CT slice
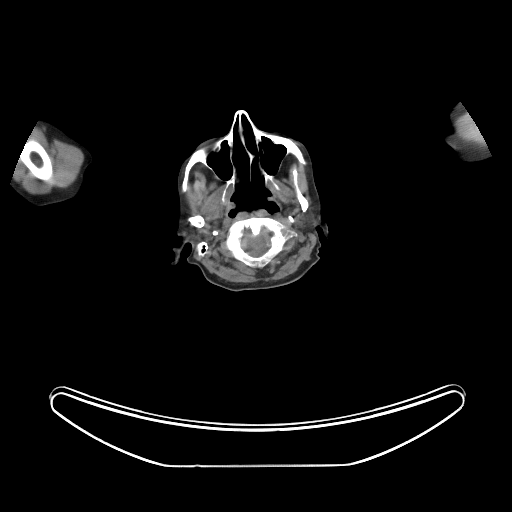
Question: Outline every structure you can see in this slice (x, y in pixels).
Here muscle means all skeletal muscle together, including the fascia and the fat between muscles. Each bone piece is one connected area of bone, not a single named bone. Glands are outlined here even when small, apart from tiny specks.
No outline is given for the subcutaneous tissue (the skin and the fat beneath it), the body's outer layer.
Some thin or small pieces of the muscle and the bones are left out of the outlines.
Answer: bones 1: [[252,216],[273,218],[296,233],[295,235],[294,234],[285,241],[283,245],[283,248],[262,268],[249,266],[236,259],[233,257],[231,252],[226,247],[225,244],[227,233],[232,223],[235,221],[241,219],[245,219]]; inner edge: [[247,230],[249,231],[249,236],[251,238],[255,238],[259,236],[262,233],[263,234],[265,234],[267,236],[267,239],[269,242],[269,247],[267,249],[267,250],[261,255],[259,255],[258,256],[253,256],[243,248],[242,246],[242,240],[246,235],[246,232]]
bones 2: [[238,110],[245,111],[258,129],[293,140],[306,164],[299,165],[291,155],[281,162],[285,148],[266,137],[261,140],[261,151],[258,150],[251,125],[243,115],[243,134],[255,156],[250,170],[249,157],[240,141],[237,125],[234,125],[232,159],[238,181],[234,187],[228,187],[226,203],[223,203],[221,196],[225,184],[214,172],[222,180],[227,180],[233,170],[227,142],[223,141],[217,152],[214,151],[213,144],[228,133]]
bones 3: [[30,135],[31,135],[35,140],[41,144],[41,145],[47,152],[51,160],[51,163],[52,164],[52,177],[50,182],[47,182],[46,181],[41,180],[35,176],[32,175],[30,173],[28,168],[21,161],[19,161],[18,160],[20,153],[28,137]]
bones 4: [[202,147],[205,147],[207,150],[207,152],[209,155],[207,157],[206,161],[212,168],[213,171],[207,168],[200,162],[196,163],[190,170],[189,176],[188,177],[188,187],[186,191],[182,193],[181,192],[181,183],[184,176],[185,166],[191,154],[196,150]]
bones 5: [[293,166],[296,166],[297,167],[297,172],[298,173],[298,176],[297,177],[297,179],[298,180],[298,186],[302,194],[306,198],[308,202],[308,207],[305,211],[303,211],[301,209],[301,206],[296,196],[296,192],[293,185],[293,176],[291,171]]
bones 6: [[260,156],[261,156],[261,164],[263,169],[268,174],[270,175],[274,175],[274,180],[278,185],[279,189],[277,190],[276,189],[274,189],[274,188],[270,184],[266,186],[265,185],[264,176],[260,172],[259,166],[258,165],[258,159],[257,157],[258,158]]
bones 7: [[197,214],[200,214],[203,217],[203,218],[204,219],[204,225],[202,227],[196,227],[195,226],[193,226],[192,225],[191,225],[188,222],[188,221],[187,220],[187,218],[189,216],[192,216],[193,215],[196,215]]
bones 8: [[201,241],[205,241],[208,244],[208,250],[207,251],[207,252],[203,256],[200,256],[199,255],[198,255],[198,254],[197,253],[197,251],[196,250],[196,245],[197,244],[197,243],[198,243],[199,242],[200,242]]
right arm: [[40,119],[53,123],[70,137],[85,146],[91,153],[93,160],[86,168],[81,188],[74,197],[57,203],[52,203],[43,206],[36,206],[28,202],[14,191],[10,186],[10,182],[12,179],[20,153],[28,137],[32,132],[34,126]]
muscle 1: [[288,156],[299,166],[307,162],[313,205],[310,205],[305,221],[312,224],[315,235],[310,259],[294,273],[272,281],[236,283],[209,272],[193,255],[193,238],[186,223],[188,214],[183,194],[189,187],[193,167],[200,163],[223,182],[220,196],[223,204],[227,203],[229,187],[234,188],[230,199],[235,205],[228,212],[232,218],[243,210],[262,208],[273,213],[279,209],[268,199],[272,194],[266,187],[280,189],[275,176]], around holes outlined by [[252,216],[273,218],[296,233],[295,235],[294,234],[285,241],[283,245],[283,248],[262,268],[249,266],[236,259],[233,257],[231,252],[226,247],[225,244],[227,233],[232,223],[235,221],[241,219],[245,219]] and by [[293,166],[296,166],[297,167],[297,172],[298,173],[298,176],[297,177],[297,179],[298,180],[298,186],[302,194],[306,198],[308,202],[308,207],[305,211],[303,211],[301,209],[301,206],[296,196],[296,192],[293,185],[293,176],[291,171]] and by [[197,214],[200,214],[203,217],[203,218],[204,219],[204,225],[202,227],[196,227],[195,226],[193,226],[192,225],[191,225],[188,222],[188,221],[187,220],[187,218],[189,216],[192,216],[193,215],[196,215]] and by [[201,241],[205,241],[208,244],[208,250],[207,251],[207,252],[203,256],[200,256],[199,255],[198,255],[198,254],[197,253],[197,251],[196,250],[196,245],[197,244],[197,243],[198,243],[199,242],[200,242]]
muscle 2: [[35,125],[41,126],[46,129],[52,136],[76,146],[82,151],[84,155],[84,161],[75,181],[68,187],[52,194],[29,193],[12,178],[18,161],[21,162],[27,168],[29,173],[37,179],[47,183],[50,183],[52,181],[52,160],[42,144],[30,134]]
muscle 3: [[467,111],[470,117],[474,122],[475,125],[478,128],[485,143],[487,145],[482,145],[481,146],[475,146],[472,144],[470,144],[467,142],[464,142],[460,140],[455,135],[455,133],[456,132],[455,121],[458,116],[459,116],[461,114],[464,114]]
parotid glands: [[311,205],[312,205],[314,207],[314,221],[313,222],[313,224],[312,223],[309,223],[308,222],[307,222],[306,221],[306,217],[307,216],[307,214],[309,212],[309,210],[310,209],[310,208],[311,207]]
head: [[238,110],[245,111],[258,129],[283,133],[306,147],[321,217],[332,238],[327,239],[318,226],[319,260],[296,281],[275,288],[232,291],[210,283],[187,262],[189,243],[178,262],[171,264],[172,248],[181,242],[176,233],[180,166],[200,142],[227,134]]; inner edges: [[243,116],[258,151],[262,151],[263,138],[285,150],[274,174],[264,169],[261,155],[256,157],[264,185],[271,194],[267,199],[278,209],[243,209],[231,217],[229,212],[236,205],[231,198],[239,181],[233,159],[235,125],[249,170],[256,156],[244,134]], then [[223,142],[226,142],[226,144],[228,148],[228,159],[229,160],[229,162],[231,166],[231,169],[232,170],[230,177],[227,179],[222,179],[214,171],[213,168],[208,163],[207,161],[208,159],[208,157],[210,155],[210,154],[217,153],[222,149],[222,144]]
brain: [[247,230],[249,231],[249,236],[251,238],[255,238],[259,236],[262,233],[263,234],[265,234],[267,236],[267,239],[269,242],[269,247],[267,249],[267,250],[261,255],[259,255],[258,256],[253,256],[243,248],[242,246],[242,240],[246,235],[246,232]]
left arm: [[458,101],[459,101],[466,109],[475,125],[478,128],[491,154],[490,158],[482,161],[474,162],[473,163],[464,162],[459,160],[456,157],[452,149],[445,143],[443,139],[443,136],[445,133],[451,129],[450,123],[449,122],[449,112],[452,107]]